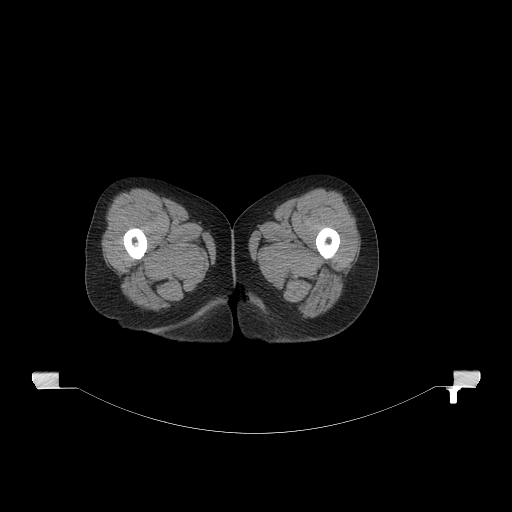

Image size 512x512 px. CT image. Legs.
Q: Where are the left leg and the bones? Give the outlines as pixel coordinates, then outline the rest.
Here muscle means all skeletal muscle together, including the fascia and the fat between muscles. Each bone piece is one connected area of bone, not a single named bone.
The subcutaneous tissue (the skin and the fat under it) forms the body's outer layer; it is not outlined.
A: left leg: 312,173 326,173 343,179 354,188 368,209 375,226 379,247 379,270 374,291 365,309 355,322 331,338 297,344 269,344 262,341 250,341 241,334 237,320 238,292 233,263 232,226 236,218 262,196 294,178
bones 1: 132,227 137,227 138,228 140,228 143,231 147,238 147,249 144,253 143,256 140,259 134,259 132,258 129,255 129,254 125,249 125,247 123,244 123,240 122,238 123,237 124,233 129,228 131,228
bones 2: 326,226 328,227 331,227 336,230 339,234 339,238 340,239 340,241 339,242 339,246 337,250 333,256 330,258 324,258 317,250 317,248 315,244 315,238 317,235 317,233 319,230 320,230 323,227 325,227
muscle 1: 317,187 336,190 343,195 344,200 355,217 361,244 358,259 347,275 343,293 339,300 323,315 302,320 295,311 276,298 270,291 257,264 252,261 250,257 248,241 257,224 271,219 272,213 278,205; inner edge: 326,226 328,227 331,227 336,230 339,234 339,238 340,239 340,241 339,242 339,246 337,250 333,256 330,258 324,258 317,250 317,248 315,244 315,238 317,235 317,233 319,230 320,230 323,227 325,227
muscle 2: 134,187 149,189 181,204 187,210 190,219 199,222 210,233 215,243 215,262 193,295 181,301 177,306 160,312 140,310 133,305 122,293 117,276 105,264 102,255 101,237 107,225 105,218 107,210 118,193; inner edge: 132,227 137,227 138,228 140,228 143,231 147,238 147,249 144,253 143,256 140,259 134,259 132,258 129,255 129,254 125,249 125,247 123,244 123,240 122,238 123,237 124,233 129,228 131,228
right leg: 128,176 153,177 174,184 210,201 228,219 231,225 232,263 236,279 236,289 228,302 233,319 233,335 228,343 180,343 147,332 124,329 114,320 98,313 90,304 84,283 84,249 93,210 98,197 109,184